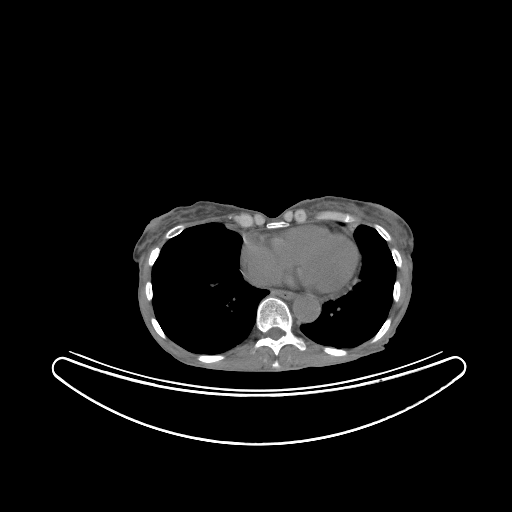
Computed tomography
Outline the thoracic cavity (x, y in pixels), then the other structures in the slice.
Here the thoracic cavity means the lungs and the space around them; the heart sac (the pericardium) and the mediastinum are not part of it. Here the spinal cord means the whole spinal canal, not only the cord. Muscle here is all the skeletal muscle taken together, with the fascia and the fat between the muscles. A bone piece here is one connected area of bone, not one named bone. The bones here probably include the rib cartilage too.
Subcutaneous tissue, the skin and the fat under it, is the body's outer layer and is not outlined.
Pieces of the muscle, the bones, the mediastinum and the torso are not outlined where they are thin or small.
Outlines (x, y in pixels):
thoracic cavity 1: [[206,222],[221,222],[242,228],[238,269],[246,282],[268,292],[256,307],[255,328],[250,335],[234,347],[221,353],[212,354],[189,351],[168,337],[155,316],[152,303],[154,294],[151,281],[152,267],[160,254],[162,246],[167,240],[177,236],[187,227]]
thoracic cavity 2: [[360,224],[371,226],[387,243],[396,267],[392,286],[392,302],[387,317],[372,337],[352,347],[343,348],[323,345],[299,335],[294,331],[294,328],[314,322],[320,316],[323,305],[326,302],[335,300],[353,290],[359,281],[362,256],[354,239],[354,232]]
spinal cord: [[271,328],[279,328],[280,329],[281,329],[283,331],[283,332],[284,333],[283,334],[283,335],[282,335],[280,337],[279,337],[277,339],[274,339],[273,338],[272,338],[271,337],[270,337],[269,336],[268,336],[267,335],[267,332]]
mediastinum 1: [[260,288],[292,290],[304,293],[321,300],[335,298],[342,295],[335,299],[330,299],[326,301],[322,305],[322,309],[319,316],[314,321],[309,323],[303,323],[298,327],[294,327],[293,316],[286,302],[276,296],[271,295],[265,296],[269,292],[266,289]]
mediastinum 2: [[308,220],[317,220],[318,221],[320,221],[321,220],[335,220],[336,221],[339,221],[344,223],[359,224],[358,224],[354,229],[353,237],[352,235],[348,233],[340,226],[337,226],[333,224],[330,224],[329,223],[322,222],[321,221],[307,221]]
mediastinum 3: [[253,226],[264,226],[265,227],[265,228],[257,228],[256,229],[253,229],[250,232],[249,232],[247,234],[246,234],[245,235],[245,236],[243,238],[242,238],[242,229],[243,228],[249,228],[250,227],[252,227]]
bones 1: [[269,296],[276,297],[282,300],[288,306],[293,320],[293,331],[304,340],[306,345],[306,348],[304,350],[300,350],[292,344],[285,344],[280,348],[277,356],[268,346],[264,345],[253,351],[253,345],[260,336],[260,332],[255,327],[257,307],[263,298]], around a hole outlined by [[271,328],[279,328],[280,329],[281,329],[283,331],[283,332],[284,333],[283,334],[283,335],[282,335],[280,337],[279,337],[277,339],[274,339],[273,338],[272,338],[271,337],[270,337],[269,336],[268,336],[267,335],[267,332]]
bones 2: [[298,209],[304,210],[307,215],[306,221],[298,223],[293,219],[290,222],[290,224],[286,227],[279,228],[268,229],[264,224],[242,227],[229,217],[247,213],[252,216],[261,216],[264,222],[266,223],[274,220],[283,220],[285,217],[285,213],[293,213]]
bones 3: [[322,210],[336,210],[337,211],[341,211],[342,212],[345,212],[346,213],[348,213],[354,216],[355,218],[355,220],[354,222],[344,222],[343,221],[340,221],[339,220],[336,220],[335,219],[321,219],[320,220],[318,220],[315,218],[315,215],[318,212]]
bones 4: [[198,354],[207,354],[208,355],[212,355],[213,354],[223,354],[224,355],[224,358],[223,359],[222,359],[221,360],[219,360],[218,361],[216,361],[215,362],[211,362],[210,363],[205,363],[204,362],[202,362],[201,361],[199,361],[197,359],[197,355]]
bones 5: [[388,317],[390,317],[391,318],[391,322],[386,332],[378,340],[377,340],[375,342],[370,342],[370,339],[372,338],[374,336],[374,335],[379,330],[379,329],[381,327],[381,326],[383,324],[385,320]]
bones 6: [[323,346],[330,346],[331,347],[334,347],[335,348],[342,348],[343,349],[345,349],[347,351],[347,354],[346,355],[344,355],[343,356],[335,356],[334,355],[331,355],[330,354],[329,354],[328,353],[326,353],[323,350]]
bones 7: [[178,224],[183,224],[184,225],[185,225],[185,226],[186,227],[180,233],[179,233],[177,235],[176,235],[175,236],[174,236],[171,238],[169,238],[168,239],[166,239],[164,236],[165,233],[169,229],[172,228],[174,226],[175,226]]
bones 8: [[374,224],[378,224],[379,225],[380,225],[382,227],[383,227],[389,233],[389,234],[391,236],[391,240],[390,241],[386,241],[378,233],[378,232],[373,227],[373,225]]
bones 9: [[155,247],[158,247],[159,248],[160,248],[160,250],[159,251],[159,254],[158,255],[158,256],[157,257],[156,260],[152,265],[152,266],[150,266],[148,264],[148,258],[149,257],[149,254],[150,253],[151,250],[152,249],[153,249]]
bones 10: [[152,317],[155,317],[155,318],[157,320],[157,321],[158,322],[159,325],[161,327],[162,330],[166,335],[166,336],[167,337],[166,338],[163,338],[162,337],[161,337],[156,332],[156,331],[154,329],[154,328],[153,327],[153,326],[151,323],[151,318]]
bones 11: [[391,248],[395,248],[399,252],[399,253],[400,254],[400,256],[401,257],[401,267],[400,267],[399,268],[396,266],[396,265],[394,262],[394,260],[393,259],[393,257],[392,256],[392,254],[391,253],[391,251],[390,250],[390,249]]
bones 12: [[396,279],[397,279],[399,281],[399,283],[400,284],[400,293],[399,294],[399,298],[398,299],[398,300],[396,302],[395,302],[394,301],[393,301],[393,286],[394,285],[394,283],[395,282],[395,280]]
bones 13: [[147,281],[150,281],[151,282],[151,286],[152,287],[152,293],[153,294],[152,295],[152,298],[151,299],[151,300],[150,301],[149,300],[148,300],[147,299],[147,297],[146,296],[146,294],[145,293],[145,284],[146,283],[146,282]]
pericardium: [[306,222],[321,222],[340,227],[352,236],[361,256],[361,265],[357,281],[347,291],[335,297],[321,299],[292,289],[258,287],[252,285],[244,279],[240,271],[239,260],[244,241],[243,239],[246,235],[257,229],[279,229],[286,228],[294,223],[302,224]]
muscle 1: [[166,230],[163,235],[165,242],[161,247],[155,246],[152,248],[147,258],[147,264],[151,267],[151,274],[150,280],[147,280],[144,284],[144,293],[146,299],[151,301],[153,308],[154,316],[150,318],[150,323],[161,338],[169,338],[182,348],[197,354],[196,359],[205,364],[223,360],[225,355],[222,353],[244,342],[254,329],[259,332],[259,336],[252,345],[252,351],[254,352],[264,346],[268,347],[276,357],[285,345],[292,345],[300,351],[304,351],[307,345],[301,336],[322,345],[322,350],[326,354],[335,357],[346,356],[348,354],[346,348],[358,346],[367,340],[370,343],[378,341],[391,325],[392,318],[388,314],[392,303],[399,300],[401,293],[401,284],[396,278],[396,274],[397,268],[402,267],[402,257],[395,247],[390,248],[388,245],[387,242],[392,240],[392,236],[405,258],[408,286],[397,321],[388,336],[379,347],[354,358],[334,363],[289,368],[280,366],[276,358],[272,362],[271,368],[258,370],[224,369],[199,365],[188,362],[168,350],[151,330],[141,308],[142,269],[147,256],[147,249]]
muscle 2: [[232,212],[235,212],[236,213],[238,213],[239,212],[245,212],[244,213],[240,213],[239,214],[234,214],[233,215],[230,215],[228,217],[237,225],[232,225],[229,223],[224,223],[221,221],[206,221],[202,223],[198,223],[197,224],[194,224],[190,226],[186,226],[186,225],[183,223],[179,223],[183,221],[191,222],[192,221],[195,221],[196,220],[198,220],[202,218],[205,218],[206,217],[216,217],[217,216],[224,216]]
muscle 3: [[342,211],[347,211],[348,212],[351,212],[352,213],[357,214],[361,216],[364,219],[370,220],[371,221],[374,221],[380,224],[378,223],[374,223],[372,225],[372,226],[371,225],[369,225],[365,223],[352,223],[354,223],[356,220],[355,216],[348,212]]
muscle 4: [[309,207],[311,210],[317,210],[318,209],[322,209],[323,208],[324,209],[326,208],[333,209],[322,209],[318,211],[314,215],[314,218],[315,219],[308,219],[307,220],[308,218],[308,215],[307,213],[304,209],[302,208],[299,208],[308,208]]
torso: [[324,195],[382,204],[399,214],[413,232],[411,299],[395,334],[384,350],[341,365],[308,367],[276,375],[235,371],[216,373],[174,359],[154,341],[138,309],[138,266],[132,259],[134,245],[153,217],[173,207],[199,200],[233,204],[276,216],[300,200]]